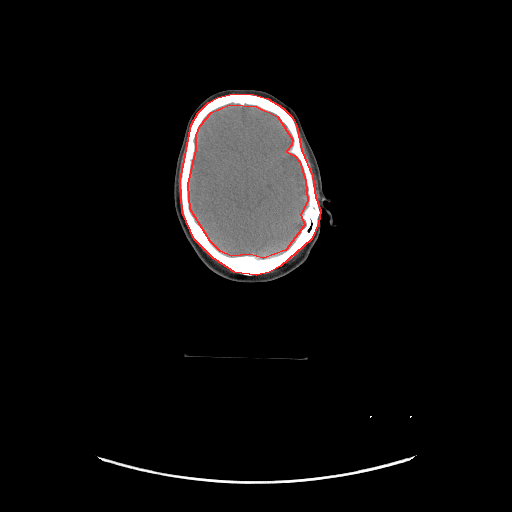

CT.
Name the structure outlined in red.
red: bones.
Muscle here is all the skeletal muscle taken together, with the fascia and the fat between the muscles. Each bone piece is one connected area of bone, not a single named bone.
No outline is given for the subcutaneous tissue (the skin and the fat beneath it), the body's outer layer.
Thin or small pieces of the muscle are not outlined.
Outlined structures:
bones: 233 93; 253 94; 267 98; 282 107; 292 117; 296 125; 301 150; 312 176; 315 197; 320 210; 318 223; 311 239; 280 266; 269 272; 256 275; 234 272; 212 257; 194 239; 182 212; 180 180; 191 124; 198 112; 208 102; 217 97 with a hole at 229 104; 256 106; 277 116; 292 139; 291 145; 286 151; 294 155; 299 161; 305 180; 307 201; 300 214; 304 225; 285 250; 263 258; 249 254; 231 256; 220 251; 210 241; 190 209; 188 184; 196 149; 196 135; 200 125; 211 112
head: 234 88; 268 92; 295 111; 316 157; 323 192; 330 199; 330 202; 324 204; 336 224; 335 227; 330 226; 329 217; 324 212; 319 237; 307 259; 295 271; 270 282; 237 282; 210 270; 187 241; 174 207; 176 159; 190 115; 209 95
brain: 229 104; 256 106; 277 116; 292 139; 291 145; 286 151; 294 155; 299 161; 305 180; 307 201; 300 214; 304 225; 285 250; 263 258; 249 254; 231 256; 220 251; 210 241; 190 209; 188 184; 196 149; 196 135; 200 125; 211 112
muscle 1: 297 127; 308 151; 310 157; 310 160; 313 165; 313 168; 316 175; 316 178; 318 183; 318 189; 320 195; 319 206; 316 197; 316 192; 315 191; 315 187; 313 182; 313 176; 308 161; 301 147; 300 137; 298 133
muscle 2: 303 248; 303 249; 300 252; 300 253; 292 261; 291 261; 289 263; 286 263; 285 264; 284 264; 285 263; 286 263; 289 260; 290 260; 298 252; 299 252
muscle 3: 212 258; 213 258; 218 263; 219 263; 222 266; 223 266; 225 268; 226 268; 227 269; 226 269; 225 268; 224 268; 223 267; 222 267; 220 265; 219 265; 217 263; 216 263; 213 260; 213 259